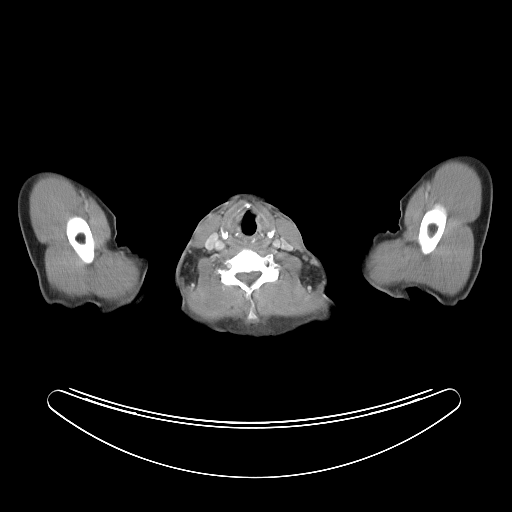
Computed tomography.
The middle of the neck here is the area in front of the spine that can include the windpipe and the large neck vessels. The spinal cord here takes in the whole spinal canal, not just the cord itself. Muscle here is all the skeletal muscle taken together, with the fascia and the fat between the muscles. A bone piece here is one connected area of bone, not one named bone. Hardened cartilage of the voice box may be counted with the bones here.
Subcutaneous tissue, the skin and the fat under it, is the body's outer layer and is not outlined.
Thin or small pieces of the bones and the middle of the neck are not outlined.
The head and neck is outlined by (242, 191) (261, 194) (289, 216) (297, 226) (305, 246) (322, 262) (327, 275) (325, 293) (337, 306) (327, 323) (316, 322) (281, 336) (257, 339) (212, 331) (190, 321) (179, 310) (180, 297) (175, 285) (175, 270) (194, 228) (199, 220) (212, 208) (223, 202) (229, 195). The right arm is outlined by (40, 168) (61, 170) (89, 186) (115, 214) (117, 243) (127, 245) (147, 257) (148, 267) (144, 280) (146, 291) (137, 305) (107, 315) (100, 315) (97, 307) (91, 303) (81, 308) (68, 310) (57, 304) (49, 305) (44, 301) (17, 218) (17, 196) (20, 186) (29, 174). The muscle appears in 3 outlined pieces: piece 1: (242, 197) (253, 197) (263, 202) (274, 211) (279, 213) (294, 226) (299, 235) (301, 245) (304, 251) (313, 260) (320, 271) (321, 274) (320, 291) (328, 303) (327, 309) (324, 313) (313, 313) (299, 317) (271, 317) (265, 323) (246, 325) (240, 323) (237, 320) (230, 318) (218, 321) (206, 321) (193, 315) (188, 310) (181, 288) (181, 277) (190, 256) (190, 250) (192, 249) (192, 242) (194, 234) (200, 224) (208, 216) (217, 211) (222, 206) (233, 199) with holes at (242, 248) (250, 248) (261, 256) (270, 253) (274, 261) (280, 265) (277, 279) (263, 283) (251, 294) (254, 312) (257, 316) (253, 320) (247, 318) (251, 303) (245, 291) (238, 285) (223, 284) (220, 275) (216, 272) (216, 269) (224, 265) (224, 260) (229, 259) and at (245, 202) (250, 203) (256, 208) (268, 220) (269, 225) (275, 229) (269, 244) (267, 245) (244, 245) (239, 243) (225, 243) (224, 242) (224, 240) (221, 235) (220, 229) (223, 228) (226, 225) (226, 223) (230, 219) (230, 217) (232, 215) (234, 210) (239, 206) (241, 206); piece 2: (452, 160) (461, 160) (473, 165) (482, 181) (482, 206) (480, 214) (472, 224) (474, 235) (473, 260) (465, 285) (456, 294) (446, 295) (423, 284) (401, 282) (386, 285) (373, 280) (366, 268) (370, 252) (379, 242) (401, 235) (404, 230) (405, 208) (410, 196) (441, 165), around a hole outlined by (435, 204) (439, 204) (441, 205) (446, 211) (446, 221) (445, 222) (445, 226) (441, 235) (441, 237) (438, 241) (435, 248) (430, 253) (428, 254) (423, 254) (417, 240) (417, 237) (419, 232) (419, 227) (420, 226) (421, 220) (425, 212) (427, 210) (430, 209); piece 3: (46, 173) (62, 176) (77, 187) (86, 191) (106, 215) (111, 232) (109, 247) (115, 251) (124, 252) (141, 262) (141, 271) (137, 289) (132, 295) (123, 301) (108, 302) (94, 295) (69, 298) (50, 288) (45, 271) (44, 246) (37, 240) (29, 219) (30, 189) (35, 179), around a hole outlined by (73, 216) (80, 216) (82, 218) (83, 218) (87, 222) (89, 226) (89, 228) (91, 231) (92, 237) (94, 241) (94, 258) (93, 259) (93, 261) (90, 263) (84, 263) (80, 259) (80, 258) (78, 256) (68, 240) (68, 238) (66, 234) (66, 223) (68, 219). The left arm is outlined by (460, 153) (480, 158) (488, 167) (493, 183) (492, 213) (482, 250) (482, 263) (468, 296) (450, 307) (414, 287) (408, 290) (410, 301) (392, 297) (374, 288) (364, 279) (360, 269) (362, 256) (374, 234) (378, 231) (397, 230) (400, 197) (428, 168) (448, 156). The bones appear in 3 outlined pieces: piece 1: (242, 248) (250, 248) (261, 256) (270, 253) (274, 261) (280, 265) (277, 279) (263, 283) (251, 294) (254, 312) (257, 316) (253, 320) (247, 318) (251, 303) (245, 291) (238, 285) (223, 284) (220, 275) (216, 272) (216, 269) (224, 265) (224, 260) (229, 259) with a hole at (254, 271) (258, 271) (260, 273) (260, 274) (259, 275) (259, 276) (254, 281) (253, 281) (251, 283) (250, 283) (249, 284) (248, 284) (247, 283) (246, 283) (243, 281) (241, 281) (239, 279) (238, 279) (236, 277) (236, 274) (237, 273) (249, 273) (250, 272) (253, 272); piece 2: (435, 204) (439, 204) (441, 205) (446, 211) (446, 221) (445, 222) (445, 226) (441, 235) (441, 237) (438, 241) (435, 248) (430, 253) (428, 254) (423, 254) (417, 240) (417, 237) (419, 232) (419, 227) (420, 226) (421, 220) (425, 212) (427, 210) (430, 209); piece 3: (73, 216) (80, 216) (82, 218) (83, 218) (87, 222) (89, 226) (89, 228) (91, 231) (92, 237) (94, 241) (94, 258) (93, 259) (93, 261) (90, 263) (84, 263) (80, 259) (80, 258) (78, 256) (68, 240) (68, 238) (66, 234) (66, 223) (68, 219). The spinal cord is outlined by (254, 271) (258, 271) (260, 273) (260, 274) (259, 275) (259, 276) (254, 281) (253, 281) (251, 283) (250, 283) (249, 284) (248, 284) (247, 283) (246, 283) (243, 281) (241, 281) (239, 279) (238, 279) (236, 277) (236, 274) (237, 273) (249, 273) (250, 272) (253, 272). The middle of the neck is outlined by (252, 205) (262, 214) (260, 215) (260, 219) (266, 225) (269, 223) (270, 229) (266, 232) (266, 236) (271, 239) (270, 243) (267, 245) (244, 245) (239, 243) (225, 243) (224, 240) (228, 238) (229, 234) (223, 228) (230, 219) (234, 210) (237, 208) (236, 210) (240, 212).